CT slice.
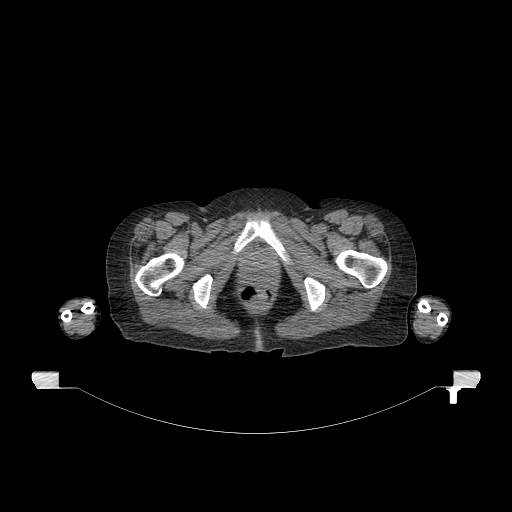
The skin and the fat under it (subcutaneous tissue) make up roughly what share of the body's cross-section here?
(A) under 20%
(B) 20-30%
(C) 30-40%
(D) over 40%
(C) 30-40%
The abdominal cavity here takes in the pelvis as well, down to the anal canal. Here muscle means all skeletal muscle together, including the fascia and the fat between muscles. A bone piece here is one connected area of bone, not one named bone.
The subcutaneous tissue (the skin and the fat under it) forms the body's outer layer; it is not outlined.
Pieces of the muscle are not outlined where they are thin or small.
{"right_arm":[[[78,295],[88,295],[97,301],[101,311],[101,319],[98,326],[90,334],[87,335],[81,339],[71,339],[67,337],[60,329],[60,327],[58,324],[58,318],[57,317],[57,314],[58,313],[58,309],[60,305],[65,300]]],"abdominal_cavity":[[[255,240],[263,241],[269,245],[279,257],[280,260],[278,261],[278,278],[277,279],[277,289],[275,295],[271,304],[264,312],[260,314],[254,314],[251,312],[242,303],[237,295],[237,284],[239,274],[239,266],[237,261],[244,249],[248,246],[248,244]]],"left_arm":[[[423,294],[435,294],[442,297],[447,301],[450,305],[452,310],[452,319],[449,325],[449,327],[447,329],[444,335],[437,341],[428,344],[420,343],[415,338],[414,333],[410,328],[410,325],[408,320],[408,309],[412,299],[415,296],[418,297]]],"bones":[[[167,252],[175,252],[184,259],[184,265],[181,271],[177,275],[174,277],[172,277],[168,279],[163,283],[162,285],[162,291],[158,296],[151,296],[148,294],[144,293],[139,288],[134,280],[134,277],[137,270],[142,265],[144,265],[151,258]],[[347,249],[353,249],[357,251],[365,252],[377,257],[381,257],[386,261],[387,263],[387,270],[382,280],[377,285],[371,288],[365,288],[362,285],[360,281],[355,276],[348,274],[344,272],[342,270],[339,269],[334,259],[341,251],[343,250],[346,250]],[[249,219],[251,220],[264,219],[267,220],[270,223],[274,232],[279,238],[286,251],[290,256],[292,261],[291,264],[285,263],[271,246],[259,236],[257,236],[252,241],[248,243],[236,254],[233,254],[232,253],[232,249],[234,243],[244,227],[246,221]],[[307,276],[310,276],[318,280],[321,283],[324,284],[325,286],[325,298],[322,304],[318,307],[316,311],[311,311],[309,307],[309,303],[307,299],[307,296],[306,295],[306,291],[305,290],[305,288],[304,287],[304,284],[303,283],[303,280],[304,278]],[[206,273],[210,274],[212,276],[212,278],[213,279],[211,284],[210,296],[209,297],[209,300],[207,304],[207,307],[206,308],[203,308],[201,307],[201,306],[199,305],[194,299],[193,291],[192,290],[192,285],[195,281],[196,281],[200,277]],[[422,298],[425,298],[426,299],[427,299],[427,301],[428,302],[428,303],[430,306],[430,310],[428,312],[422,312],[421,311],[420,311],[418,309],[418,307],[417,306],[417,304],[418,303],[418,302],[419,301],[419,300]],[[89,300],[90,300],[93,303],[93,304],[94,305],[95,308],[94,309],[94,310],[92,313],[90,313],[89,314],[87,314],[86,313],[83,312],[81,310],[81,307],[84,304],[84,302],[85,302],[86,301],[88,301]],[[440,312],[443,312],[447,316],[447,317],[448,318],[448,319],[447,320],[447,322],[445,324],[445,325],[444,325],[443,326],[441,326],[440,325],[439,325],[437,323],[437,316],[438,315],[438,314]],[[65,309],[68,309],[71,312],[71,318],[70,319],[70,320],[68,322],[65,322],[64,321],[63,321],[62,320],[62,319],[61,318],[61,313]]],"muscle":[{"outer":[[343,207],[366,209],[374,214],[383,224],[389,242],[392,272],[370,319],[311,337],[279,338],[275,325],[293,314],[302,302],[289,276],[283,270],[280,293],[271,310],[264,317],[256,318],[247,314],[235,299],[235,267],[218,294],[216,304],[220,312],[238,322],[244,331],[240,336],[208,339],[141,320],[129,283],[129,244],[135,225],[150,213],[177,211],[202,222],[212,222],[239,211],[260,208],[277,210],[306,223]],"holes":[[[249,219],[267,220],[292,261],[291,264],[287,264],[281,259],[278,261],[278,278],[275,295],[271,304],[260,314],[254,314],[251,312],[242,303],[237,295],[239,274],[239,266],[237,261],[244,249],[243,248],[236,254],[232,253],[234,243],[246,221]],[[167,252],[175,252],[184,259],[184,265],[181,271],[177,275],[174,277],[172,277],[168,279],[163,283],[162,285],[162,291],[158,296],[151,296],[148,294],[144,293],[139,288],[134,280],[134,277],[137,270],[142,265],[144,265],[151,258]],[[347,249],[353,249],[357,251],[365,252],[377,257],[381,257],[386,261],[387,263],[387,270],[382,280],[377,285],[371,288],[365,288],[362,285],[360,281],[355,276],[348,274],[344,272],[342,270],[339,269],[334,259],[341,251],[343,250],[346,250]],[[307,276],[310,276],[318,280],[321,283],[324,284],[325,286],[325,298],[322,304],[318,307],[316,311],[311,311],[309,307],[309,303],[307,299],[307,296],[306,295],[306,291],[305,290],[305,288],[304,287],[304,284],[303,283],[303,280],[304,278]],[[206,273],[210,274],[212,276],[212,278],[213,279],[211,284],[210,296],[209,297],[209,300],[207,304],[207,307],[206,308],[203,308],[201,307],[201,306],[199,305],[194,299],[193,291],[192,290],[192,285],[195,281],[196,281],[200,277]]]},[[426,298],[432,298],[440,301],[446,306],[449,313],[448,317],[443,311],[440,311],[437,314],[436,323],[439,326],[443,327],[441,332],[434,338],[419,335],[413,327],[416,305],[417,309],[422,313],[428,313],[431,310],[431,306],[428,299]],[[82,299],[88,300],[84,301],[80,307],[80,310],[83,313],[89,315],[92,314],[95,310],[96,312],[93,321],[93,326],[83,334],[68,333],[63,326],[63,322],[68,323],[71,320],[72,312],[68,308],[62,310],[64,306],[70,301]]],"torso":[[[248,186],[287,190],[311,207],[320,198],[340,197],[368,200],[393,212],[412,239],[417,261],[406,339],[394,346],[343,346],[284,358],[280,349],[205,353],[125,339],[109,314],[105,275],[107,245],[116,226],[145,205],[174,200],[204,205]]]}